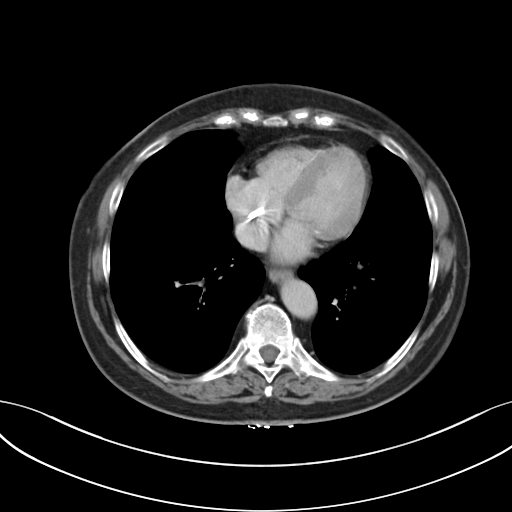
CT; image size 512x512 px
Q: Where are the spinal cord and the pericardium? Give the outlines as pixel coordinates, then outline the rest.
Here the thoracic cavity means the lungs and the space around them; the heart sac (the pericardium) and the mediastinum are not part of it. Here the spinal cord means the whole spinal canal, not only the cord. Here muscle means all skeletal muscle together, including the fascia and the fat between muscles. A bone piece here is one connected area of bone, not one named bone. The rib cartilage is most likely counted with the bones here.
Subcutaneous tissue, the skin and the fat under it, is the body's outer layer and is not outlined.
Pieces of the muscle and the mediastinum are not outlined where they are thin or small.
A: {"spinal_cord":[[[267,345],[271,345],[272,346],[274,346],[276,348],[277,348],[278,349],[278,353],[277,354],[277,355],[275,357],[275,358],[271,362],[266,362],[265,361],[265,360],[262,357],[262,356],[260,353],[260,349],[262,347],[263,347],[264,346],[266,346]]],"pericardium":[[[304,135],[333,138],[350,146],[367,157],[371,171],[371,187],[369,195],[359,221],[345,239],[327,249],[317,257],[298,266],[271,264],[265,262],[257,253],[244,247],[238,240],[235,233],[234,218],[226,204],[226,180],[230,169],[255,149],[282,138]]],"bones":[{"outer":[[265,303],[277,305],[287,314],[292,330],[304,348],[336,373],[340,380],[328,381],[312,375],[301,378],[285,365],[271,381],[269,397],[264,393],[268,384],[265,377],[251,366],[244,365],[236,374],[208,381],[192,380],[230,354],[246,331],[244,314]],"hole":[[267,345],[271,345],[272,346],[274,346],[276,348],[277,348],[278,349],[278,353],[277,354],[277,355],[275,357],[275,358],[271,362],[266,362],[265,361],[265,360],[262,357],[262,356],[260,353],[260,349],[262,347],[263,347],[264,346],[266,346]]},[[252,108],[265,115],[284,116],[291,110],[303,108],[311,116],[330,115],[336,119],[336,123],[319,128],[313,124],[310,116],[297,125],[265,126],[259,122],[248,123],[241,120],[239,125],[218,126],[213,123],[213,119],[220,114],[236,114],[241,109]],[[115,317],[118,318],[129,337],[135,345],[147,358],[150,366],[158,372],[167,376],[171,380],[170,381],[166,382],[162,380],[159,377],[156,376],[141,365],[131,355],[123,344],[118,334],[116,332],[116,330],[114,326],[114,322],[113,321],[113,319]],[[416,326],[418,326],[419,327],[419,332],[414,342],[412,344],[408,351],[405,354],[405,355],[385,374],[375,379],[373,381],[369,383],[367,382],[366,381],[366,379],[373,376],[382,368],[383,364],[402,345],[402,344],[410,335],[410,334],[413,331]],[[164,135],[165,135],[169,140],[169,142],[165,146],[164,146],[162,148],[161,148],[159,150],[158,150],[156,152],[152,154],[142,162],[137,162],[135,161],[135,159],[136,157],[140,153],[140,152],[141,152],[150,143],[153,142],[161,136],[163,136]],[[426,188],[429,188],[432,192],[434,196],[436,204],[437,205],[437,212],[438,213],[438,216],[437,217],[437,223],[436,224],[436,226],[432,226],[428,216],[428,213],[427,212],[427,209],[426,208],[426,205],[425,204],[425,201],[423,196],[423,190]],[[382,134],[385,134],[386,135],[390,136],[392,138],[393,138],[393,139],[395,140],[401,146],[401,147],[403,149],[403,150],[408,157],[408,162],[407,163],[405,162],[400,157],[392,153],[389,150],[388,150],[385,147],[384,147],[379,142],[379,138]],[[120,180],[121,181],[123,181],[125,186],[124,187],[124,189],[123,190],[123,192],[122,193],[118,207],[116,210],[116,212],[115,214],[112,216],[110,215],[109,213],[109,201],[110,200],[110,198],[111,197],[111,195],[112,194],[114,187],[118,181]],[[433,250],[435,250],[438,254],[438,256],[439,257],[439,263],[438,264],[438,271],[437,272],[437,277],[436,278],[435,285],[433,288],[433,290],[431,292],[429,292],[428,291],[428,278],[429,277],[429,271],[430,270],[431,257],[432,256],[432,252]],[[106,240],[108,240],[109,241],[109,255],[110,256],[110,264],[109,265],[110,266],[110,270],[109,271],[109,283],[108,284],[107,284],[105,281],[105,279],[104,278],[104,275],[103,274],[103,269],[102,268],[102,248],[103,247],[103,244]]],"thoracic_cavity":[[[210,128],[233,131],[236,141],[242,148],[226,174],[225,204],[232,218],[231,234],[242,248],[260,260],[265,275],[261,292],[238,319],[225,357],[201,373],[178,373],[149,359],[136,345],[119,319],[110,291],[110,240],[125,187],[139,166],[182,134]],[[380,144],[406,163],[422,192],[432,235],[427,297],[419,320],[401,345],[383,363],[375,368],[365,373],[350,375],[335,372],[315,358],[311,332],[318,314],[318,299],[313,288],[299,276],[298,270],[345,240],[360,221],[374,181],[368,156]]],"muscle":[[[227,107],[251,108],[241,108],[236,113],[220,113],[212,119],[212,123],[217,127],[190,130],[171,141],[164,134],[139,152],[134,161],[141,163],[126,184],[120,179],[112,189],[108,201],[108,213],[114,218],[110,239],[106,239],[101,248],[102,274],[105,283],[109,284],[111,299],[117,315],[112,319],[115,332],[130,355],[146,370],[166,383],[172,380],[151,366],[149,360],[178,374],[199,374],[191,379],[193,382],[203,383],[226,375],[236,375],[244,366],[255,369],[264,377],[267,384],[263,388],[263,393],[266,397],[257,401],[202,404],[183,400],[164,391],[131,369],[107,344],[88,307],[86,295],[87,258],[98,208],[113,178],[145,145],[160,134],[187,121]],[[402,146],[438,186],[454,228],[457,271],[454,296],[447,313],[414,357],[394,376],[366,394],[310,404],[270,397],[271,383],[285,366],[301,379],[312,376],[338,382],[342,378],[337,373],[365,374],[382,364],[378,371],[365,379],[369,384],[390,371],[418,337],[420,327],[417,324],[428,292],[434,290],[438,277],[440,257],[433,249],[432,227],[437,226],[439,213],[433,192],[429,187],[422,191],[407,164],[409,157]],[[301,107],[317,107],[335,111],[350,116],[374,128],[382,130],[390,135],[382,133],[379,136],[378,141],[373,137],[361,131],[352,129],[349,127],[328,128],[334,126],[337,123],[337,119],[334,116],[327,113],[314,113],[311,115],[308,109]]],"mediastinum":[[[246,249],[257,254],[265,263],[271,265],[298,267],[307,263],[298,268],[297,274],[312,288],[317,299],[317,314],[312,323],[310,332],[314,357],[305,348],[301,339],[294,332],[290,317],[280,306],[265,302],[249,308],[262,292],[266,272],[261,260]],[[242,123],[260,124],[265,127],[286,127],[301,124],[319,129],[349,128],[373,138],[379,145],[373,148],[366,156],[357,149],[333,137],[313,134],[291,135],[269,141],[255,148],[230,168],[243,148],[237,141],[236,133],[233,130],[216,128],[239,126]],[[242,315],[243,315],[243,319],[245,324],[244,325],[245,326],[245,331],[243,335],[242,335],[238,339],[234,348],[229,353],[229,354],[226,356],[227,351],[233,341],[233,337],[235,333],[235,329],[237,326],[239,319],[240,317],[242,316]]],"torso":[[[256,82],[324,88],[383,111],[435,160],[461,209],[471,271],[455,334],[441,359],[417,385],[374,409],[293,425],[226,425],[180,418],[144,405],[115,387],[92,361],[78,331],[69,287],[68,243],[76,206],[94,173],[126,141],[174,106],[212,91]]]}